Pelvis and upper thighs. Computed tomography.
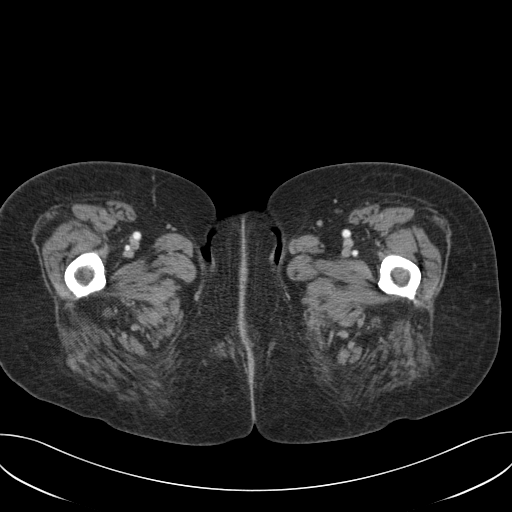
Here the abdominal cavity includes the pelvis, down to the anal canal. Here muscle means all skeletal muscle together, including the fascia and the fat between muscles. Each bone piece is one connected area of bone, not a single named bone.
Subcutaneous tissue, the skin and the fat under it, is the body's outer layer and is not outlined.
right leg: (89, 160) (122, 161) (161, 168) (192, 181) (205, 191) (218, 218) (242, 211) (244, 262) (238, 284) (237, 311) (247, 359) (253, 418) (253, 427) (246, 437) (218, 445) (196, 446) (134, 435) (32, 396) (0, 367) (0, 206) (16, 187) (30, 177) (59, 165) with a hole at (207, 243) (208, 243) (208, 245) (209, 246) (208, 247) (209, 248) (209, 257) (208, 258) (208, 259) (207, 259) (204, 256) (204, 255) (203, 254) (203, 253) (202, 252) (202, 248) (205, 245) (206, 245) (207, 244)
left leg: (359, 161) (402, 163) (435, 172) (458, 184) (479, 205) (496, 251) (501, 299) (498, 351) (483, 381) (455, 406) (417, 420) (399, 419) (347, 439) (310, 444) (273, 442) (254, 427) (251, 380) (240, 327) (239, 284) (245, 262) (243, 211) (262, 210) (273, 191) (299, 173) with a hole at (279, 241) (280, 242) (280, 251) (279, 252) (279, 255) (278, 256) (278, 258) (277, 259) (277, 260) (276, 260) (276, 251) (277, 250) (277, 246) (278, 245) (278, 242)
muscle 1: (356, 191) (398, 194) (436, 206) (447, 219) (452, 234) (445, 279) (435, 302) (434, 344) (437, 364) (435, 372) (409, 386) (399, 386) (373, 399) (364, 406) (344, 408) (314, 387) (298, 342) (291, 310) (278, 277) (278, 264) (290, 240) (305, 222) (311, 201), around a hole outlined by (388, 254) (396, 254) (397, 255) (400, 255) (405, 258) (409, 259) (419, 267) (421, 272) (421, 280) (419, 286) (416, 290) (415, 301) (410, 300) (407, 298) (403, 298) (396, 295) (386, 294) (378, 288) (377, 286) (377, 281) (379, 278) (380, 264) (383, 258)
muscle 2: (93, 198) (129, 202) (160, 218) (183, 233) (194, 244) (193, 248) (199, 257) (203, 270) (200, 288) (187, 320) (175, 339) (180, 402) (177, 414) (171, 417) (162, 419) (131, 413) (65, 371) (63, 348) (55, 325) (54, 302) (42, 277) (31, 231) (38, 216) (54, 204), around a hole outlined by (89, 251) (97, 251) (104, 265) (104, 273) (106, 277) (106, 285) (104, 288) (99, 291) (93, 292) (85, 297) (83, 297) (79, 299) (76, 299) (74, 295) (65, 284) (65, 282) (64, 281) (64, 272) (65, 271) (66, 266) (73, 259) (80, 254) (84, 252) (88, 252)
muscle 3: (239, 318) (245, 319) (254, 324) (255, 329) (256, 330) (256, 333) (257, 334) (257, 337) (258, 338) (259, 357) (260, 358) (259, 383) (251, 390) (245, 387) (240, 380) (230, 358) (230, 356) (231, 355) (231, 347) (229, 345) (229, 329) (230, 328) (230, 323) (232, 321) with a hole at (240, 331) (243, 331) (245, 332) (247, 335) (247, 340) (248, 341) (248, 346) (249, 347) (249, 352) (250, 353) (250, 368) (245, 372) (245, 370) (243, 366) (243, 363) (241, 359) (241, 356) (240, 355) (239, 348) (238, 347) (238, 343) (237, 342) (237, 332) (239, 332)
bones 1: (388, 254) (396, 254) (397, 255) (400, 255) (405, 258) (409, 259) (419, 267) (421, 272) (421, 280) (419, 286) (416, 290) (415, 301) (410, 300) (407, 298) (403, 298) (396, 295) (386, 294) (378, 288) (377, 286) (377, 281) (379, 278) (380, 264) (383, 258)
bones 2: (89, 251) (97, 251) (104, 265) (104, 273) (106, 277) (106, 285) (104, 288) (99, 291) (93, 292) (85, 297) (83, 297) (79, 299) (76, 299) (74, 295) (65, 284) (65, 282) (64, 281) (64, 272) (65, 271) (66, 266) (73, 259) (80, 254) (84, 252) (88, 252)
abdominal cavity: (240, 331) (243, 331) (245, 332) (247, 335) (247, 340) (248, 341) (248, 346) (249, 347) (249, 352) (250, 353) (250, 368) (245, 372) (245, 370) (243, 366) (243, 363) (241, 359) (241, 356) (240, 355) (239, 348) (238, 347) (238, 343) (237, 342) (237, 332) (239, 332)